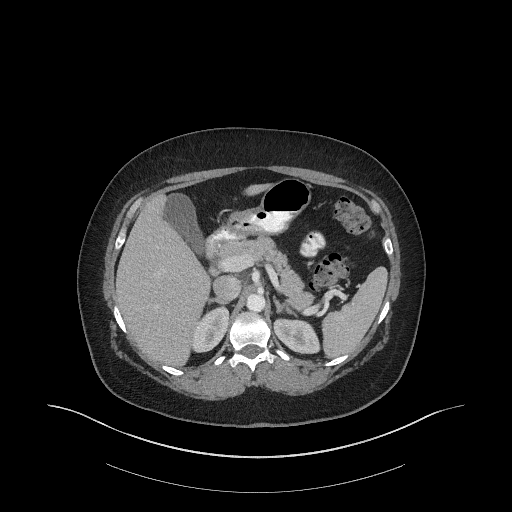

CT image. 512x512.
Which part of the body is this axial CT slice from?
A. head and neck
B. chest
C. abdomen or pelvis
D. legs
C. abdomen or pelvis
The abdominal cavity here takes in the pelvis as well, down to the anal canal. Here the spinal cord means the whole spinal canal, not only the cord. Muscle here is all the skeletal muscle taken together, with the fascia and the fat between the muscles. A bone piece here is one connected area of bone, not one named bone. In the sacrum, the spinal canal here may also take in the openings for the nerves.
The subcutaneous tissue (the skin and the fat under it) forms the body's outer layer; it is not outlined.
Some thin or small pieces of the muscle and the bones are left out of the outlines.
Outlines:
abdominal cavity: [[180,369],[212,357],[242,311],[263,317],[271,329],[270,338],[290,355],[326,361],[353,349],[375,322],[389,282],[389,260],[381,243],[379,216],[362,198],[347,190],[259,169],[208,179],[144,200],[127,228],[118,254],[116,297],[138,347],[152,359]]
muscle: [[203,400],[223,400],[229,397],[239,395],[243,393],[247,388],[252,386],[263,387],[272,391],[281,392],[286,395],[295,396],[311,393],[325,387],[348,372],[358,368],[377,351],[384,347],[389,339],[389,330],[390,329],[389,324],[392,316],[392,305],[397,298],[400,287],[400,276],[401,275],[400,249],[395,227],[392,220],[392,216],[385,202],[377,193],[365,187],[352,183],[341,177],[313,169],[285,165],[249,165],[248,166],[233,166],[215,168],[175,175],[140,190],[126,201],[115,219],[110,236],[108,239],[108,243],[104,256],[104,274],[102,291],[110,313],[110,318],[108,321],[110,328],[110,345],[118,357],[134,366],[140,372],[177,392],[193,398]] with holes at [[174,375],[208,360],[228,337],[234,351],[227,359],[230,365],[243,362],[251,371],[260,361],[272,363],[276,354],[285,360],[290,355],[320,359],[325,366],[343,361],[373,324],[382,321],[390,305],[385,295],[393,249],[390,238],[383,235],[378,203],[372,199],[371,208],[347,190],[259,169],[208,179],[143,201],[138,198],[126,213],[132,219],[128,227],[124,223],[115,240],[118,304],[113,314],[138,347]] and at [[215,365],[217,365],[218,364],[219,364],[220,363],[221,363],[226,358],[226,357],[225,356],[225,355],[221,355],[219,357],[218,357],[214,361],[214,362],[213,363]]
bones 1: [[251,371],[260,361],[266,360],[272,363],[276,354],[285,360],[289,360],[290,357],[280,348],[273,347],[274,343],[269,341],[270,329],[263,318],[257,314],[242,312],[235,318],[229,329],[229,339],[234,351],[227,360],[232,367],[243,362]] with a hole at [[250,358],[252,358],[253,357],[254,357],[258,353],[259,353],[261,351],[261,348],[260,348],[258,346],[257,346],[256,345],[247,345],[246,346],[245,346],[240,351],[240,352],[242,354],[243,354],[244,355],[245,355],[246,356],[247,356]]
bones 2: [[117,251],[119,251],[125,239],[125,233],[126,232],[126,225],[125,223],[124,223],[122,225],[118,233],[118,235],[115,240],[115,244],[114,245],[114,248],[115,250]]
bones 3: [[124,332],[127,332],[127,330],[125,327],[125,325],[123,322],[123,320],[121,317],[121,315],[120,314],[120,312],[119,311],[119,309],[118,308],[117,305],[114,305],[114,306],[113,307],[113,314],[114,315],[114,317],[115,318],[119,327]]
bones 4: [[389,257],[390,257],[391,256],[391,255],[393,252],[393,249],[392,248],[392,244],[391,243],[391,240],[390,239],[390,238],[387,236],[384,236],[384,237],[383,238],[383,240],[382,241],[382,243],[383,244],[384,249],[385,250],[387,255]]
bones 5: [[377,324],[380,323],[382,321],[382,320],[386,315],[386,314],[389,309],[389,306],[390,305],[390,304],[389,303],[389,301],[388,300],[386,300],[384,302],[384,304],[382,307],[382,309],[381,310],[381,311],[378,316],[378,318],[376,321],[376,323]]
bones 6: [[127,218],[131,218],[132,217],[132,216],[133,215],[133,214],[134,213],[135,210],[137,208],[137,207],[141,202],[141,201],[142,200],[142,197],[140,197],[139,198],[138,198],[130,206],[130,207],[128,209],[128,210],[126,213],[126,217]]
bones 7: [[325,366],[331,366],[332,365],[334,365],[335,364],[337,364],[338,363],[339,363],[340,362],[343,361],[348,356],[348,355],[347,354],[344,354],[341,356],[339,356],[336,358],[334,358],[333,359],[332,359],[329,361],[327,361],[324,363],[324,365]]
bones 8: [[174,375],[181,375],[183,373],[183,372],[181,370],[180,370],[179,369],[177,369],[176,368],[174,368],[173,367],[171,367],[170,366],[168,366],[167,365],[162,365],[161,366],[163,369],[164,369],[169,373],[170,373],[171,374],[173,374]]
bones 9: [[215,365],[217,365],[218,364],[219,364],[220,363],[221,363],[226,358],[226,357],[225,356],[225,355],[221,355],[219,357],[218,357],[214,361],[214,362],[213,363]]
torso: [[240,428],[303,425],[355,413],[397,383],[410,357],[425,289],[425,252],[419,224],[393,174],[373,155],[348,142],[312,132],[243,126],[176,135],[128,160],[103,190],[88,221],[78,255],[76,291],[85,340],[102,383],[116,397],[145,410],[188,422]]
spinal cord: [[250,358],[252,358],[253,357],[254,357],[258,353],[259,353],[261,351],[261,348],[260,348],[258,346],[257,346],[256,345],[247,345],[246,346],[245,346],[240,351],[240,352],[242,354],[243,354],[244,355],[245,355],[246,356],[247,356]]